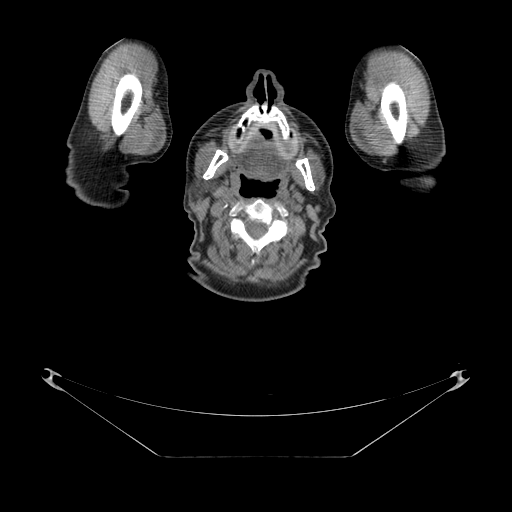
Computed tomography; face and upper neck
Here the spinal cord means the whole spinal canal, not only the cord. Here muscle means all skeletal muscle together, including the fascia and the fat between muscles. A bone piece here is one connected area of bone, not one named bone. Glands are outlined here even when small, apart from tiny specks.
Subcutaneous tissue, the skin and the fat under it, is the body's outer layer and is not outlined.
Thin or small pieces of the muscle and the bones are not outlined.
{"parotid_glands":[[[196,176],[199,177],[203,180],[205,180],[207,182],[207,186],[208,187],[208,189],[201,199],[200,199],[199,200],[197,200],[196,201],[191,201],[189,198],[189,188],[190,187],[190,184],[192,182],[192,180],[194,178],[194,177],[195,178],[196,177]]],"right_arm":[[[128,36],[151,42],[165,63],[173,133],[169,147],[158,160],[133,164],[127,168],[131,176],[125,186],[131,194],[129,201],[115,211],[106,211],[79,200],[64,182],[64,167],[68,152],[65,141],[77,113],[87,79],[98,57],[104,50]]],"spinal_cord":[[[248,220],[249,221],[256,221],[257,222],[260,222],[261,223],[263,223],[264,224],[265,224],[267,226],[267,230],[266,231],[266,232],[258,238],[254,238],[253,237],[252,237],[248,233],[248,232],[246,229],[246,222]]],"head_and_neck":[{"outer":[[258,68],[273,71],[284,88],[284,101],[306,113],[328,141],[336,210],[323,232],[327,249],[306,285],[280,299],[251,303],[217,295],[186,274],[192,270],[186,258],[194,230],[183,208],[183,194],[192,135],[216,111],[246,99],[245,88]],"holes":[[[241,176],[244,176],[247,180],[255,180],[258,182],[262,182],[263,183],[271,183],[274,181],[277,181],[277,185],[275,187],[275,191],[273,195],[271,196],[255,196],[254,195],[246,196],[245,195],[242,195],[242,194],[240,193],[240,189],[242,185]],[[260,75],[261,75],[263,78],[263,87],[264,88],[264,92],[265,93],[265,98],[263,100],[263,101],[260,103],[258,101],[258,99],[257,98],[257,97],[254,94],[254,90],[255,89],[255,88],[258,83],[258,80],[259,79],[259,76]],[[268,76],[269,77],[270,77],[270,81],[271,82],[271,84],[272,85],[272,86],[273,87],[273,88],[275,91],[275,96],[273,98],[273,100],[272,101],[272,103],[270,105],[269,105],[269,103],[268,102],[268,98],[267,97],[267,77]],[[262,130],[263,130],[264,130],[265,130],[266,130],[267,131],[268,131],[269,132],[270,132],[270,133],[271,134],[271,135],[271,136],[270,136],[269,137],[268,137],[267,137],[266,136],[265,135],[264,134],[263,133],[263,132],[262,131]]]}],"left_arm":[[[387,42],[397,43],[413,53],[425,66],[434,89],[445,131],[446,153],[440,165],[434,171],[439,183],[435,191],[431,193],[406,193],[401,191],[396,182],[402,175],[400,171],[382,171],[369,166],[354,152],[345,137],[344,120],[355,65],[366,49]]],"bones":[{"outer":[[254,197],[263,197],[267,202],[271,204],[277,200],[288,212],[285,217],[287,221],[286,234],[280,240],[270,242],[263,247],[258,256],[252,253],[250,248],[242,239],[233,238],[230,231],[230,221],[233,217],[230,215],[231,208],[238,200],[249,203]],"hole":[[248,220],[249,221],[256,221],[257,222],[260,222],[261,223],[263,223],[264,224],[265,224],[267,226],[267,230],[266,231],[266,232],[258,238],[254,238],[253,237],[252,237],[248,233],[248,232],[246,229],[246,222]]},[[266,98],[269,106],[275,104],[283,112],[289,125],[296,132],[296,150],[291,149],[287,143],[284,144],[284,149],[282,149],[270,131],[259,128],[252,133],[241,150],[237,144],[231,147],[229,145],[229,135],[232,126],[249,107],[256,102],[262,103]],[[133,72],[135,73],[139,79],[142,86],[141,103],[135,112],[126,130],[120,136],[116,137],[113,133],[111,127],[111,121],[110,120],[111,118],[111,109],[113,105],[113,100],[115,95],[115,89],[119,81],[119,79],[122,75],[126,73],[132,73]],[[391,81],[396,82],[401,87],[404,92],[406,102],[408,118],[407,119],[406,134],[404,138],[404,141],[401,145],[398,145],[394,142],[392,134],[387,127],[386,123],[384,121],[384,119],[382,118],[380,113],[380,102],[381,101],[382,89],[387,83]],[[218,148],[224,151],[226,153],[227,153],[228,155],[228,159],[226,161],[223,162],[216,169],[213,175],[213,177],[212,178],[210,179],[207,179],[206,180],[202,177],[202,175],[207,168],[210,161],[212,159],[215,153],[215,151],[216,149]],[[304,157],[307,157],[308,159],[308,162],[309,163],[309,166],[310,167],[310,170],[311,171],[312,178],[313,179],[314,185],[315,186],[315,189],[313,191],[310,191],[306,189],[303,176],[300,170],[295,165],[295,161],[297,159],[300,159]]],"muscle":[{"outer":[[249,100],[255,102],[230,128],[231,148],[237,145],[241,151],[259,129],[282,150],[287,144],[296,151],[297,132],[276,104],[280,102],[318,141],[325,168],[321,189],[325,211],[317,227],[318,242],[307,261],[275,286],[231,283],[201,264],[204,255],[198,248],[199,222],[189,205],[189,199],[196,202],[203,198],[209,189],[207,180],[229,159],[227,152],[216,148],[202,178],[195,177],[198,144],[209,129],[223,123]],"holes":[[[241,176],[263,183],[277,181],[273,195],[263,197],[271,204],[275,200],[279,201],[288,212],[285,217],[286,234],[263,247],[258,256],[252,253],[242,239],[233,238],[230,231],[233,217],[230,215],[231,208],[238,200],[249,203],[255,196],[240,193]],[[304,157],[307,157],[308,159],[308,162],[309,163],[309,166],[310,167],[310,170],[311,171],[312,178],[313,179],[314,185],[315,186],[315,189],[313,191],[310,191],[306,189],[303,176],[300,170],[295,165],[295,161],[297,159],[300,159]]]},{"outer":[[125,42],[143,45],[154,54],[158,63],[156,88],[159,90],[159,94],[157,101],[160,104],[165,121],[166,139],[162,147],[151,154],[124,154],[116,147],[106,152],[101,152],[98,149],[97,132],[91,126],[88,118],[88,97],[93,79],[108,53]],"hole":[[133,72],[135,73],[139,79],[142,86],[141,103],[135,112],[126,130],[120,136],[116,137],[113,133],[111,127],[111,121],[110,120],[111,118],[111,109],[113,105],[113,100],[115,95],[115,89],[119,81],[119,79],[122,75],[126,73],[132,73]]},{"outer":[[389,48],[401,49],[414,59],[422,71],[429,91],[430,114],[428,117],[427,126],[422,130],[418,137],[402,147],[393,156],[384,157],[370,155],[361,150],[351,137],[349,124],[354,103],[360,95],[359,81],[363,79],[363,71],[367,57],[374,51]],"hole":[[391,81],[396,82],[401,87],[404,92],[406,102],[408,118],[407,119],[406,134],[404,138],[404,141],[401,145],[398,145],[394,142],[392,134],[387,127],[386,123],[384,121],[384,119],[382,118],[380,113],[380,102],[381,101],[382,89],[387,83]]}]}